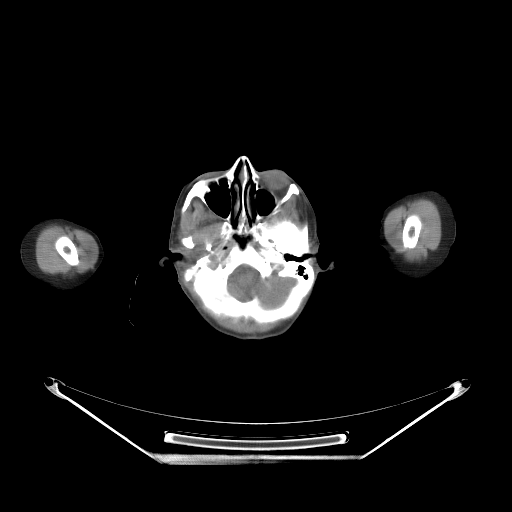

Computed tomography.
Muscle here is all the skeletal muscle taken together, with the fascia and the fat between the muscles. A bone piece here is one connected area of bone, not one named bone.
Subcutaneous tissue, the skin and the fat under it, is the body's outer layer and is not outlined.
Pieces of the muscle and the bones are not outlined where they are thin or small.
{"brain":[[[241,265],[246,265],[255,270],[258,273],[259,277],[263,280],[269,278],[274,272],[276,272],[279,277],[291,278],[295,280],[295,282],[289,288],[283,301],[279,305],[274,307],[264,307],[257,295],[247,300],[240,300],[229,292],[228,279],[236,268]]],"left_arm":[[[425,188],[433,189],[440,192],[447,198],[451,204],[456,220],[456,237],[450,249],[449,254],[443,264],[428,277],[418,281],[414,281],[402,277],[390,266],[384,248],[377,241],[380,229],[380,220],[383,210],[394,200],[399,198],[402,195]]],"head":[{"outer":[[240,156],[257,171],[283,169],[303,189],[316,215],[318,263],[324,269],[334,262],[332,270],[319,273],[301,317],[281,335],[261,340],[216,331],[192,307],[171,262],[158,265],[163,255],[181,256],[168,249],[168,239],[182,187],[204,172],[230,168]],"holes":[[[222,180],[225,180],[226,187],[229,192],[228,193],[231,197],[231,207],[227,215],[225,216],[221,216],[214,211],[213,211],[210,208],[208,204],[208,202],[206,199],[206,195],[208,194],[211,191],[211,186],[212,184],[219,185],[221,183],[221,181]],[[259,190],[264,190],[266,191],[268,193],[269,193],[273,198],[273,206],[271,208],[269,212],[263,215],[262,214],[260,214],[259,212],[257,211],[257,209],[256,208],[256,205],[254,203],[254,200],[257,195],[257,192]]]}],"right_arm":[[[51,216],[61,216],[72,220],[74,222],[81,224],[91,229],[98,236],[104,250],[103,260],[95,273],[83,285],[72,290],[58,291],[52,289],[46,284],[32,277],[26,271],[21,262],[19,249],[20,248],[20,241],[23,234],[32,224],[38,220]]],"muscle":[{"outer":[[185,194],[180,208],[180,214],[182,216],[192,200],[198,198],[222,220],[219,230],[204,239],[203,244],[206,252],[198,257],[193,264],[185,268],[182,275],[185,282],[191,282],[192,289],[199,298],[203,308],[217,318],[230,318],[235,322],[242,319],[245,321],[252,320],[257,324],[266,324],[289,319],[265,331],[239,332],[220,325],[200,309],[184,285],[181,277],[181,270],[188,261],[188,258],[174,242],[179,207]],"hole":[[188,235],[192,235],[192,237],[193,238],[193,241],[194,242],[194,246],[192,248],[187,248],[186,247],[185,247],[182,244],[182,243],[181,242],[181,239],[183,237],[185,237],[186,236],[187,236]]},{"outer":[[419,197],[425,197],[431,199],[437,205],[441,216],[442,235],[441,236],[440,243],[435,254],[426,261],[421,261],[414,263],[413,262],[404,261],[402,258],[394,251],[387,242],[384,235],[384,222],[387,214],[392,209],[399,205],[402,202]],"hole":[[411,214],[416,214],[420,218],[421,222],[422,223],[422,226],[421,227],[421,229],[419,233],[419,236],[418,237],[416,245],[413,248],[404,248],[403,246],[403,243],[402,242],[402,231],[403,230],[403,226],[404,225],[404,222],[406,218]]},{"outer":[[51,223],[62,223],[63,224],[68,224],[87,232],[93,237],[98,247],[98,258],[95,265],[91,269],[78,276],[75,276],[71,278],[61,278],[60,277],[56,277],[50,274],[44,273],[38,267],[35,258],[35,241],[37,235],[40,230],[46,225]],"hole":[[62,235],[66,235],[74,243],[74,244],[77,249],[77,253],[78,254],[78,259],[79,260],[79,263],[77,265],[72,266],[71,265],[68,264],[56,250],[56,249],[54,246],[54,243],[55,242],[55,241],[60,236],[61,236]]},[[300,194],[305,204],[307,206],[309,215],[310,216],[310,219],[312,223],[312,238],[313,239],[313,244],[311,247],[310,247],[309,244],[309,226],[308,223],[305,221],[300,226],[297,225],[283,213],[283,210],[282,209],[282,205],[293,195],[298,196]]],"bones":[{"outer":[[240,156],[260,177],[256,211],[269,213],[272,195],[280,198],[295,183],[299,194],[282,213],[308,226],[314,283],[292,316],[273,322],[213,315],[183,276],[220,230],[216,214],[232,207],[225,179],[211,184],[209,208],[194,197],[182,215],[186,194]],"hole":[[241,265],[246,265],[255,270],[258,273],[259,277],[263,280],[269,278],[274,272],[276,272],[279,277],[291,278],[295,280],[295,282],[289,288],[283,301],[279,305],[274,307],[264,307],[257,295],[247,300],[240,300],[229,292],[228,279],[236,268]]},[[411,214],[416,214],[420,218],[421,222],[422,223],[422,226],[421,227],[421,229],[419,233],[419,236],[418,237],[416,245],[413,248],[404,248],[403,246],[403,243],[402,242],[402,231],[403,230],[403,226],[404,225],[404,222],[406,218]],[[62,235],[66,235],[74,243],[74,244],[77,249],[77,253],[78,254],[78,259],[79,260],[79,263],[77,265],[72,266],[71,265],[68,264],[56,250],[56,249],[54,246],[54,243],[55,242],[55,241],[60,236],[61,236]],[[188,235],[192,235],[192,237],[193,238],[193,241],[194,242],[194,246],[192,248],[187,248],[186,247],[185,247],[182,244],[182,243],[181,242],[181,239],[183,237],[185,237],[186,236],[187,236]]]}